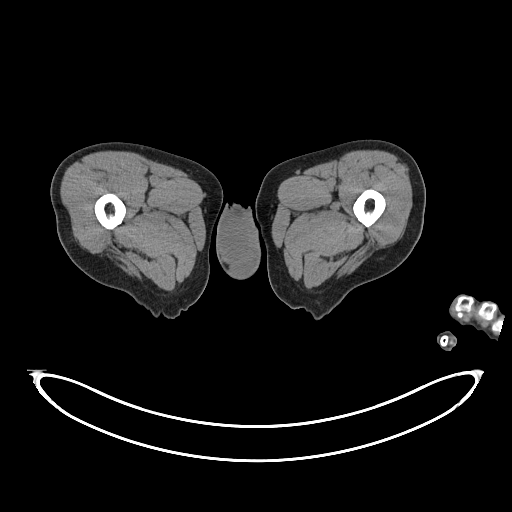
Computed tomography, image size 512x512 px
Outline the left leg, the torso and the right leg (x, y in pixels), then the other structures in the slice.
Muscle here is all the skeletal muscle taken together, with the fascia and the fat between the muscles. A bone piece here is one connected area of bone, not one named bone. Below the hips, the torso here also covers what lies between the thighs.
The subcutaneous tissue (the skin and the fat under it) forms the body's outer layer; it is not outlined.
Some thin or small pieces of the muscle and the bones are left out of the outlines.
The left leg is outlined by [[369,138],[381,139],[399,145],[410,153],[418,164],[426,189],[422,232],[411,253],[398,267],[382,277],[354,288],[327,315],[315,320],[302,308],[290,308],[276,296],[270,286],[266,267],[265,245],[254,214],[256,195],[265,174],[278,163],[346,141]]. The torso is outlined by [[224,201],[237,202],[245,207],[250,206],[253,210],[252,213],[254,215],[254,219],[257,227],[261,233],[262,240],[261,239],[259,241],[261,250],[260,263],[255,273],[246,279],[240,280],[235,279],[226,274],[220,266],[216,256],[215,251],[216,223]]. The right leg is outlined by [[109,141],[139,143],[189,158],[210,170],[221,184],[223,201],[211,236],[210,273],[206,287],[195,303],[173,319],[162,315],[155,318],[127,293],[102,285],[90,278],[71,261],[59,241],[55,214],[50,200],[50,183],[54,171],[70,153],[88,145]]. The left arm appears in 2 outlined pieces: piece 1: [[459,294],[465,294],[468,296],[474,297],[478,300],[492,301],[499,308],[503,314],[502,316],[503,317],[501,322],[501,328],[496,340],[489,338],[483,331],[477,330],[471,325],[465,326],[461,325],[454,321],[450,317],[448,312],[449,306],[452,300]]; piece 2: [[444,330],[449,330],[451,331],[455,335],[456,337],[456,339],[457,340],[456,341],[456,343],[455,345],[451,349],[450,351],[445,351],[443,350],[441,348],[441,346],[440,344],[436,341],[436,337],[438,333]]. The muscle appears in 3 outlined pieces: piece 1: [[102,150],[124,150],[139,153],[192,175],[203,187],[206,193],[205,243],[197,259],[195,278],[184,290],[169,295],[158,295],[151,292],[141,282],[127,275],[111,260],[90,254],[75,241],[69,214],[60,197],[61,180],[66,168],[73,162],[86,154]] with a hole at [[108,192],[116,194],[122,200],[126,208],[125,215],[123,218],[122,222],[118,225],[117,225],[113,229],[107,229],[105,227],[104,227],[98,221],[95,215],[95,212],[94,211],[94,204],[95,203],[95,201],[101,195],[105,193],[107,193]]; piece 2: [[356,149],[384,150],[393,153],[407,164],[411,179],[412,207],[404,234],[394,244],[377,251],[332,289],[314,295],[303,294],[299,292],[290,282],[285,268],[276,252],[270,235],[269,214],[271,194],[276,185],[294,173],[319,163],[338,159],[344,153]], around a hole outlined by [[369,188],[372,188],[378,191],[383,195],[385,199],[385,208],[383,212],[381,214],[381,215],[370,226],[368,227],[366,227],[357,219],[356,216],[354,214],[354,212],[353,211],[353,203],[355,201],[356,198],[363,191],[363,190],[365,189],[368,189]]; piece 3: [[473,304],[480,305],[477,310],[477,314],[483,320],[491,321],[496,313],[496,315],[498,317],[491,324],[490,327],[491,330],[488,327],[483,327],[474,319],[471,319],[468,321],[464,321],[460,319],[465,315],[465,313],[469,314],[471,312]]. The bones appear in 5 outlined pieces: piece 1: [[369,188],[372,188],[378,191],[383,195],[385,199],[385,208],[383,212],[381,214],[381,215],[370,226],[368,227],[366,227],[357,219],[356,216],[354,214],[354,212],[353,211],[353,203],[355,201],[356,198],[363,191],[363,190],[365,189],[368,189]]; piece 2: [[108,192],[116,194],[122,200],[126,208],[125,215],[123,218],[122,222],[118,225],[117,225],[113,229],[107,229],[105,227],[104,227],[98,221],[95,215],[95,212],[94,211],[94,204],[95,203],[95,201],[101,195],[105,193],[107,193]]; piece 3: [[461,295],[466,295],[467,296],[471,296],[473,299],[473,303],[471,306],[471,310],[470,312],[469,313],[467,313],[465,312],[464,313],[464,315],[462,317],[460,317],[459,318],[457,317],[457,313],[454,307],[456,303],[456,300],[457,299],[457,297]]; piece 4: [[484,302],[491,302],[492,303],[494,303],[497,306],[497,308],[496,309],[496,310],[495,311],[495,312],[493,315],[493,317],[491,320],[486,320],[485,319],[483,319],[478,314],[478,310],[479,309],[479,308],[480,307],[480,306],[481,305],[481,304]]; piece 5: [[502,316],[503,317],[502,318],[502,321],[501,322],[501,328],[500,329],[500,331],[499,332],[499,333],[496,333],[495,332],[494,332],[492,330],[492,328],[491,327],[492,326],[492,324],[498,318],[499,318],[500,317],[501,317]].